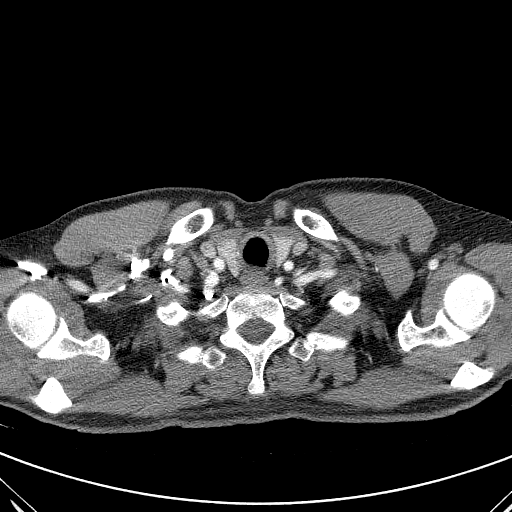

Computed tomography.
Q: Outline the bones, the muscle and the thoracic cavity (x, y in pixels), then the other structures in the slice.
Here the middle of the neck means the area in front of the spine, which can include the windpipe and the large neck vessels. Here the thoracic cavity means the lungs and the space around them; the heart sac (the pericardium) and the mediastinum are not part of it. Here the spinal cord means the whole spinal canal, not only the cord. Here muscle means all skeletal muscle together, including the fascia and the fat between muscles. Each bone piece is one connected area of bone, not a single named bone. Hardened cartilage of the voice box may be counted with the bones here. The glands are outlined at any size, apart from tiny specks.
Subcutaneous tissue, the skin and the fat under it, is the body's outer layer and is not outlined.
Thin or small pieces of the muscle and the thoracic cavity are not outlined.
A: The bones appear in 8 outlined pieces: piece 1: 261 288; 307 300; 286 310; 297 333; 349 335; 345 349; 316 349; 303 361; 283 345; 265 363; 262 394; 248 392; 251 366; 235 348; 225 348; 214 369; 176 357; 188 345; 219 346; 223 316; 169 326; 159 305; 175 299; 195 310, around a hole outlined by 258 318; 259 319; 261 319; 266 323; 268 323; 269 324; 270 324; 271 325; 271 331; 260 343; 255 344; 254 343; 252 343; 251 342; 246 340; 246 339; 238 331; 238 328; 242 324; 245 323; 247 321; 249 321; 250 320; 255 320; piece 2: 471 270; 484 276; 496 291; 493 311; 485 323; 470 338; 451 346; 436 347; 431 344; 421 344; 413 347; 408 352; 403 351; 396 334; 397 327; 406 310; 412 309; 413 320; 418 326; 431 324; 442 304; 443 293; 447 285; 458 274; piece 3: 21 290; 34 290; 49 300; 57 313; 64 318; 73 336; 86 339; 96 332; 104 334; 110 342; 110 352; 107 360; 102 362; 96 356; 85 354; 80 354; 64 360; 54 360; 38 357; 33 351; 24 346; 8 330; 3 316; 10 300; piece 4: 203 206; 211 206; 213 208; 213 210; 215 214; 215 220; 211 227; 207 231; 184 243; 182 243; 181 244; 172 244; 171 246; 170 245; 168 245; 168 244; 164 241; 166 239; 166 237; 169 232; 169 230; 171 226; 180 218; piece 5: 49 376; 55 376; 60 381; 60 382; 63 386; 63 389; 64 391; 72 402; 72 404; 71 406; 66 408; 61 413; 58 413; 57 414; 50 413; 38 407; 35 404; 32 403; 28 399; 28 396; 29 395; 34 395; 39 391; 41 386; piece 6: 296 206; 301 208; 306 208; 307 209; 309 209; 323 216; 330 223; 335 233; 338 236; 339 240; 338 241; 333 241; 332 240; 326 240; 325 239; 322 239; 306 232; 300 227; 299 227; 295 223; 291 215; 291 211; 292 209; piece 7: 464 361; 470 361; 471 362; 473 362; 478 366; 482 367; 483 368; 491 366; 495 369; 495 374; 493 376; 493 377; 492 377; 489 380; 470 390; 464 390; 463 389; 457 389; 456 388; 454 388; 450 386; 450 381; 454 376; 459 366; piece 8: 342 288; 348 288; 347 290; 349 293; 351 294; 354 294; 356 293; 358 294; 361 298; 361 303; 358 307; 358 308; 352 313; 348 315; 340 315; 338 314; 338 313; 334 310; 328 310; 328 308; 326 306; 326 302; 327 300. The muscle is outlined by 329 189; 415 198; 437 227; 431 245; 434 252; 458 245; 511 243; 511 364; 498 375; 494 377; 496 369; 491 365; 464 360; 449 381; 450 387; 463 390; 390 409; 359 408; 301 395; 269 402; 213 400; 157 417; 62 413; 73 402; 55 375; 27 396; 37 407; 0 395; 0 267; 26 256; 49 254; 73 220; 152 198; 179 202; 219 198; 231 200; 239 211; 261 210; 277 198; 301 202, around holes outlined by 252 230; 301 240; 305 251; 297 266; 289 276; 264 284; 223 279; 214 286; 205 304; 223 294; 232 298; 239 292; 261 288; 270 293; 288 292; 306 300; 313 288; 319 289; 323 299; 348 288; 349 293; 361 298; 358 308; 348 315; 312 305; 287 309; 287 318; 300 335; 315 330; 351 338; 345 349; 316 349; 307 361; 290 355; 286 345; 274 350; 263 369; 262 394; 248 392; 251 366; 235 348; 225 348; 226 358; 214 369; 176 357; 175 354; 188 345; 219 346; 214 331; 222 324; 222 315; 201 321; 190 317; 177 326; 169 326; 156 314; 159 305; 164 306; 172 299; 184 307; 184 294; 206 275; 208 266; 200 247 and by 471 270; 484 276; 496 291; 493 311; 485 323; 470 338; 451 346; 436 347; 431 344; 421 344; 413 347; 408 352; 403 351; 396 334; 397 327; 406 310; 412 309; 413 320; 418 326; 431 324; 442 304; 443 293; 447 285; 458 274 and by 21 290; 34 290; 49 300; 57 313; 64 318; 73 336; 86 339; 96 332; 104 334; 110 342; 110 352; 107 360; 102 362; 96 356; 85 354; 80 354; 64 360; 54 360; 38 357; 33 351; 24 346; 8 330; 3 316; 10 300 and by 203 206; 211 206; 213 208; 213 210; 215 214; 215 220; 211 227; 207 231; 184 243; 182 243; 181 244; 172 244; 171 246; 170 245; 168 245; 168 244; 164 241; 166 239; 166 237; 169 232; 169 230; 171 226; 180 218 and by 296 206; 301 208; 306 208; 307 209; 309 209; 323 216; 330 223; 335 233; 338 236; 339 240; 338 241; 333 241; 332 240; 326 240; 325 239; 322 239; 306 232; 300 227; 299 227; 295 223; 291 215; 291 211; 292 209. The thoracic cavity is outlined by 313 288; 317 288; 319 289; 320 296; 323 299; 325 298; 328 298; 325 302; 325 306; 327 308; 327 309; 325 311; 321 309; 318 309; 316 307; 312 305; 310 305; 310 302; 308 300; 309 298; 308 291; 309 291. The thyroid glands appear in 2 outlined pieces: piece 1: 236 234; 240 234; 240 237; 236 241; 236 244; 235 245; 235 252; 237 254; 236 255; 237 256; 236 257; 241 264; 241 268; 237 273; 233 273; 229 269; 226 261; 220 254; 215 242; 216 240; 219 238; 225 237; 226 236; 233 236; piece 2: 272 234; 283 235; 284 236; 287 236; 292 239; 292 243; 289 248; 289 251; 287 256; 285 259; 279 265; 277 266; 275 264; 275 262; 274 261; 274 258; 275 257; 274 256; 275 255; 275 248; 274 247; 274 244; 271 240; 271 236. The torso is outlined by 344 176; 404 180; 457 202; 448 237; 450 297; 485 342; 511 365; 511 379; 499 390; 470 408; 421 421; 287 418; 134 433; 78 432; 8 407; 40 344; 56 290; 53 248; 44 225; 84 203; 148 188; 206 187; 256 201; 296 182. The middle of the neck is outlined by 252 230; 271 234; 273 261; 277 267; 288 256; 293 240; 305 244; 305 251; 293 272; 264 284; 226 278; 214 286; 202 306; 186 307; 184 294; 208 271; 200 247; 214 243; 228 269; 237 274; 242 268; 236 252; 237 241; 242 233. The spinal cord is outlined by 258 318; 259 319; 261 319; 266 323; 268 323; 269 324; 270 324; 271 325; 271 331; 260 343; 255 344; 254 343; 252 343; 251 342; 246 340; 246 339; 238 331; 238 328; 242 324; 245 323; 247 321; 249 321; 250 320; 255 320. The right arm is outlined by 43 225; 46 230; 46 233; 48 235; 48 238; 51 243; 51 247; 52 248; 55 290; 52 299; 52 304; 39 344; 32 356; 32 358; 16 389; 16 391; 9 405; 7 407; 3 405; 0 405; 0 239; 22 231; 33 229. The left arm is outlined by 458 202; 466 205; 473 206; 479 209; 482 209; 492 213; 499 214; 505 217; 507 217; 509 219; 511 219; 511 364; 486 342; 469 321; 461 313; 451 297; 451 292; 449 288; 449 237; 450 236; 450 230; 451 229; 451 222; 454 216.